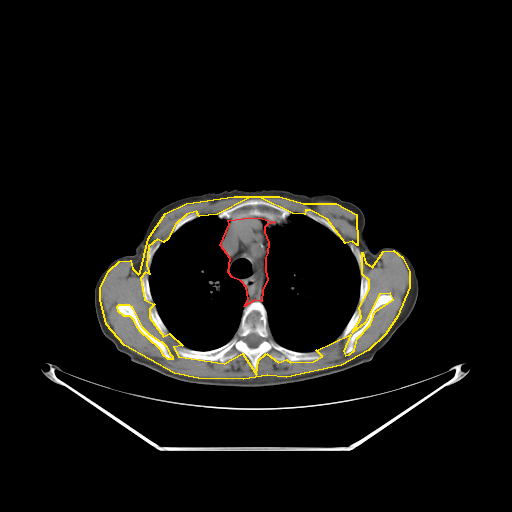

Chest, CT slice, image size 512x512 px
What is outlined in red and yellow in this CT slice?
red: mediastinum; yellow: muscle.
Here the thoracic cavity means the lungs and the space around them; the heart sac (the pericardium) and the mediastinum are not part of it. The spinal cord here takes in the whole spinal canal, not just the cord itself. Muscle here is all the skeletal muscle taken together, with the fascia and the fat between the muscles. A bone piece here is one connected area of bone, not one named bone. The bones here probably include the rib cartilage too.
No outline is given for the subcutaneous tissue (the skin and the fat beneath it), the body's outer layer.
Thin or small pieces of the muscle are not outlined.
{"mediastinum":[[[249,217],[262,218],[275,222],[267,224],[264,227],[264,232],[268,242],[267,253],[265,257],[265,270],[267,279],[262,290],[261,301],[254,300],[244,306],[248,299],[246,287],[241,281],[232,277],[228,272],[230,258],[220,245],[229,224],[228,220]]],"muscle":[{"outer":[[234,196],[279,196],[303,203],[336,203],[356,214],[357,245],[352,241],[345,243],[327,219],[310,210],[305,210],[304,214],[292,213],[259,197],[248,198],[217,214],[199,216],[196,211],[186,214],[175,224],[167,239],[163,242],[157,239],[148,246],[146,265],[149,274],[145,272],[140,278],[144,299],[154,304],[149,309],[149,317],[163,336],[169,333],[182,345],[173,347],[178,356],[224,363],[242,353],[256,374],[258,360],[266,353],[278,362],[286,359],[290,362],[313,361],[322,356],[316,350],[350,334],[343,351],[345,355],[349,354],[354,350],[357,338],[370,324],[375,311],[393,299],[390,293],[379,294],[364,323],[352,332],[361,317],[359,307],[369,289],[369,280],[362,274],[362,252],[365,262],[372,267],[383,251],[393,250],[402,257],[409,271],[409,287],[397,316],[385,334],[368,350],[341,365],[286,377],[267,375],[243,379],[198,378],[174,373],[124,345],[106,324],[100,299],[100,287],[109,270],[119,261],[130,260],[132,268],[138,274],[140,272],[148,238],[165,213],[186,203]],"hole":[[119,304],[128,304],[131,306],[141,326],[148,333],[158,340],[161,341],[166,346],[169,353],[172,356],[172,359],[168,359],[163,355],[162,352],[159,348],[140,331],[137,327],[134,320],[131,317],[129,316],[124,316],[118,311],[117,306]]}],"torso":[[[234,188],[334,195],[362,210],[363,237],[373,253],[392,246],[409,258],[418,278],[416,303],[406,321],[370,361],[292,384],[255,388],[209,386],[178,381],[134,363],[104,336],[96,317],[94,288],[109,263],[135,252],[151,218],[162,206],[182,197]]],"thoracic_cavity":[[[293,213],[304,215],[324,226],[346,244],[356,261],[360,274],[357,303],[345,326],[335,339],[310,351],[298,351],[287,348],[273,338],[268,323],[268,313],[262,302],[263,290],[268,279],[266,257],[269,242],[265,232],[265,227],[270,224],[287,220]],[[205,215],[216,215],[219,219],[228,221],[225,233],[219,245],[229,258],[227,272],[232,278],[243,284],[247,299],[243,305],[237,329],[232,337],[218,347],[208,350],[198,350],[184,346],[170,333],[153,301],[149,275],[153,258],[161,244],[185,224]]],"spinal_cord":[[[251,333],[254,333],[255,334],[257,334],[261,338],[261,341],[260,342],[260,343],[257,346],[256,346],[255,347],[251,347],[250,346],[249,346],[246,343],[246,342],[244,340],[244,338],[246,336],[247,336],[249,334],[250,334]]],"bones":[{"outer":[[254,301],[264,306],[271,336],[278,344],[298,352],[317,351],[321,355],[319,358],[296,361],[286,358],[278,361],[266,352],[258,358],[255,373],[251,361],[242,352],[224,362],[187,358],[175,352],[175,346],[208,351],[224,345],[238,329],[244,307]],"hole":[[251,333],[254,333],[255,334],[257,334],[261,338],[261,341],[260,342],[260,343],[257,346],[256,346],[255,347],[251,347],[250,346],[249,346],[246,343],[246,342],[244,340],[244,338],[246,336],[247,336],[249,334],[250,334]]},[[253,198],[259,198],[270,203],[272,203],[277,206],[287,209],[291,212],[291,214],[287,219],[278,222],[272,221],[266,218],[256,217],[255,216],[234,218],[233,219],[219,218],[217,215],[220,212],[229,208],[231,208],[248,199],[252,199]],[[351,242],[354,243],[361,252],[363,260],[361,274],[364,275],[368,280],[368,289],[362,304],[358,307],[358,309],[360,311],[360,317],[356,325],[346,337],[337,341],[336,340],[337,337],[342,332],[356,309],[359,299],[361,274],[357,261],[348,245]],[[119,304],[128,304],[131,306],[141,326],[148,333],[158,340],[161,341],[166,346],[169,353],[172,356],[172,359],[168,359],[163,355],[162,352],[159,348],[140,331],[137,327],[134,320],[131,317],[129,316],[124,316],[118,311],[117,306]],[[381,294],[390,294],[392,296],[391,301],[388,303],[380,305],[374,311],[369,324],[365,330],[354,341],[353,350],[349,353],[345,354],[344,351],[346,348],[349,337],[352,333],[358,330],[365,323],[369,316],[369,313],[372,307],[376,302],[378,296]],[[152,306],[155,306],[155,307],[156,308],[156,310],[157,311],[157,312],[158,313],[158,314],[159,315],[161,320],[163,322],[163,323],[167,328],[167,329],[169,332],[167,335],[163,335],[157,329],[157,328],[154,325],[154,324],[150,317],[150,309]],[[145,273],[146,273],[148,275],[148,281],[149,282],[149,288],[150,289],[150,293],[151,294],[151,296],[152,297],[152,302],[148,302],[145,299],[145,298],[143,295],[143,293],[142,292],[142,290],[141,289],[141,278],[142,277],[143,274],[144,274]],[[305,211],[310,211],[312,213],[313,213],[318,216],[320,216],[321,217],[324,218],[326,220],[327,220],[336,230],[336,231],[337,232],[337,236],[327,227],[326,227],[324,225],[319,223],[317,221],[312,219],[310,217],[307,216],[304,212]],[[157,240],[159,240],[161,242],[161,243],[160,244],[158,249],[155,252],[155,253],[152,258],[152,261],[151,262],[151,264],[150,265],[150,267],[149,268],[147,265],[147,253],[148,252],[148,248],[149,247],[149,246],[152,243],[153,243]],[[195,212],[198,213],[198,216],[196,218],[195,218],[194,219],[193,219],[192,220],[185,223],[183,225],[182,225],[175,232],[173,232],[173,229],[174,228],[174,227],[176,225],[176,224],[183,217],[184,217],[188,214],[190,214],[191,213],[194,213]]]}